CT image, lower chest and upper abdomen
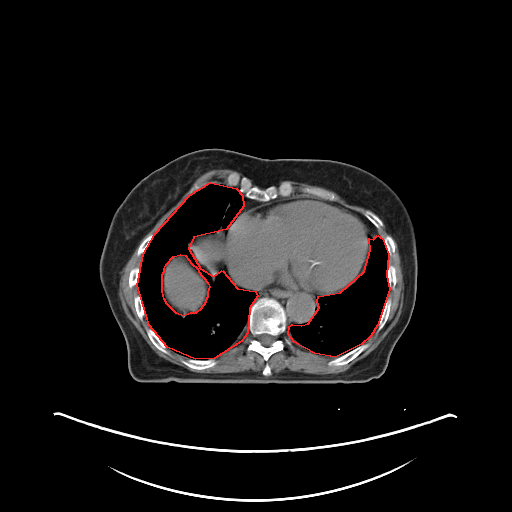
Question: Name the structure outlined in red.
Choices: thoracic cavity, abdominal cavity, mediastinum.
Answer: red: thoracic cavity.
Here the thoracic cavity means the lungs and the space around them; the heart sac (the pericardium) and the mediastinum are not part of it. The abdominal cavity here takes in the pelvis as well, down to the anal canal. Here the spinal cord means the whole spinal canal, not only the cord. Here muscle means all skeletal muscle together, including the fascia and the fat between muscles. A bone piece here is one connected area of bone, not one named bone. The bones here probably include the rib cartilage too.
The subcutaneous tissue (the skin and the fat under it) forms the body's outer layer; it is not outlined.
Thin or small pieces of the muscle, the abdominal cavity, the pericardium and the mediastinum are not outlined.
{"thoracic_cavity":[{"outer":[[210,182],[236,188],[242,195],[243,206],[226,229],[193,237],[188,248],[200,268],[213,276],[222,270],[237,288],[255,291],[257,296],[249,308],[247,333],[241,341],[214,358],[195,359],[167,347],[149,325],[137,285],[143,254],[155,233],[189,195]],"hole":[[180,254],[185,255],[191,263],[197,268],[198,271],[207,282],[209,286],[207,292],[207,297],[205,300],[205,302],[200,309],[195,313],[190,313],[183,316],[176,313],[167,304],[164,299],[162,291],[162,274],[164,271],[164,268],[166,264],[173,256]]},[[377,235],[382,238],[388,254],[386,275],[389,289],[377,325],[370,336],[361,344],[335,357],[314,353],[294,342],[288,334],[289,326],[292,324],[301,325],[308,323],[319,307],[317,301],[318,296],[340,292],[364,271],[370,250],[369,238],[373,239]]],"torso":[[[204,148],[223,148],[267,159],[342,161],[373,173],[398,194],[410,214],[415,231],[417,290],[410,320],[391,352],[385,371],[378,378],[348,384],[146,383],[138,382],[130,375],[126,343],[99,277],[99,261],[108,228],[117,208],[141,179],[178,156]]],"pericardium":[[[292,197],[317,198],[338,206],[345,206],[357,215],[369,229],[369,250],[365,267],[349,285],[340,291],[320,295],[305,289],[292,289],[280,285],[256,289],[241,287],[232,280],[224,264],[227,249],[227,236],[224,232],[239,214],[244,214],[265,203]]],"muscle":[[[384,223],[394,238],[398,247],[404,286],[402,311],[396,324],[374,350],[345,371],[315,374],[285,369],[272,374],[268,363],[269,358],[282,351],[285,345],[292,347],[293,342],[314,354],[333,357],[327,361],[328,366],[343,366],[369,346],[366,341],[376,328],[379,332],[385,326],[392,305],[392,299],[388,294],[390,289],[395,288],[397,276],[396,268],[389,263],[389,256],[396,250],[396,244],[395,241],[394,239],[389,234],[381,236],[378,232]],[[138,245],[136,254],[142,257],[140,263],[129,271],[128,286],[137,287],[133,297],[134,310],[141,321],[145,317],[148,324],[145,332],[151,343],[164,354],[169,353],[168,348],[186,357],[181,358],[180,362],[192,370],[200,371],[215,366],[215,358],[231,346],[239,344],[244,338],[247,342],[246,351],[258,353],[265,362],[261,373],[252,370],[225,373],[191,371],[160,357],[151,349],[126,316],[118,295],[121,272]],[[219,168],[232,169],[235,171],[240,172],[245,176],[241,177],[237,173],[232,172],[226,177],[225,182],[224,182],[222,179],[216,179],[213,181],[204,183],[204,181],[212,174],[211,172],[207,172],[199,178],[196,179],[200,175],[209,170],[218,169]],[[186,192],[186,194],[187,196],[169,214],[169,215],[167,216],[167,217],[159,226],[157,230],[155,232],[149,232],[144,237],[144,236],[150,230],[150,229],[154,225],[154,224],[168,210],[169,210],[170,208],[171,208],[172,206],[173,206]],[[337,194],[341,196],[342,198],[345,199],[350,204],[353,204],[354,205],[356,205],[357,206],[359,206],[360,207],[367,209],[366,209],[362,213],[362,214],[358,211],[356,211],[349,207],[347,207],[345,205],[336,201],[338,200],[338,195]],[[287,180],[289,180],[290,181],[296,181],[297,182],[301,182],[302,183],[306,183],[307,184],[309,184],[304,185],[300,188],[300,191],[302,193],[307,194],[307,195],[302,193],[298,193],[297,195],[291,195],[294,192],[295,189],[293,185]]],"spinal_cord":[[[261,334],[269,334],[270,335],[271,335],[272,336],[273,336],[274,337],[274,340],[271,343],[271,344],[270,345],[269,345],[268,346],[265,346],[264,345],[263,345],[259,341],[259,340],[258,339],[258,336],[259,335],[260,335]]],"bones":[{"outer":[[263,297],[272,298],[282,306],[286,317],[287,334],[292,341],[292,346],[285,344],[282,350],[273,353],[268,358],[267,363],[271,370],[270,375],[262,374],[266,363],[264,358],[256,351],[247,351],[248,342],[245,341],[248,336],[250,308],[255,301]],"hole":[[261,334],[269,334],[270,335],[271,335],[272,336],[273,336],[274,337],[274,340],[271,343],[271,344],[270,345],[269,345],[268,346],[265,346],[264,345],[263,345],[259,341],[259,340],[258,339],[258,336],[259,335],[260,335]]},[[232,173],[237,174],[241,178],[246,177],[253,185],[256,185],[262,189],[269,186],[277,187],[281,182],[287,181],[292,185],[294,190],[289,196],[280,195],[275,199],[271,199],[268,201],[250,199],[239,190],[238,185],[230,186],[226,183],[227,177]],[[365,342],[368,343],[368,346],[356,357],[355,357],[346,364],[344,364],[343,365],[338,365],[337,366],[335,365],[328,365],[328,361],[329,361],[331,359],[333,359],[336,357],[341,356],[347,353],[349,351],[354,349],[356,347],[361,345]],[[307,185],[319,186],[320,187],[325,188],[328,190],[331,190],[337,195],[337,200],[335,201],[332,201],[331,200],[328,200],[327,199],[324,199],[323,198],[318,197],[315,195],[312,195],[311,194],[308,194],[307,193],[302,192],[301,191],[301,188]],[[187,358],[190,358],[191,359],[194,359],[195,360],[215,359],[216,363],[215,365],[214,365],[212,367],[209,367],[208,368],[205,368],[204,369],[201,369],[200,370],[196,370],[195,369],[192,369],[188,367],[181,362],[181,359],[186,359]],[[147,326],[149,326],[152,329],[152,330],[156,334],[156,335],[165,344],[165,345],[168,350],[168,353],[167,354],[166,353],[164,353],[163,352],[162,352],[160,350],[159,350],[152,343],[152,342],[150,340],[150,339],[146,332],[146,327]],[[388,297],[391,299],[391,305],[390,306],[390,310],[389,311],[389,314],[388,315],[387,320],[386,321],[384,326],[379,331],[377,331],[377,326],[378,325],[378,322],[379,321],[380,316],[382,313],[382,311],[383,310],[383,308],[384,307],[385,302]],[[137,293],[138,293],[141,297],[141,299],[142,300],[142,302],[143,303],[143,306],[144,307],[144,310],[145,311],[145,314],[144,315],[144,317],[142,320],[141,320],[138,317],[138,316],[136,313],[136,311],[135,310],[135,304],[134,303],[134,297]],[[366,210],[369,210],[370,211],[371,211],[372,212],[373,212],[383,222],[383,226],[382,227],[381,227],[379,229],[378,229],[367,218],[366,218],[366,217],[365,216],[364,216],[363,215],[363,213]],[[389,264],[391,264],[395,268],[395,275],[396,276],[396,283],[395,284],[395,286],[394,287],[394,288],[393,289],[392,289],[391,288],[389,288],[389,286],[388,285],[388,276],[387,275],[387,272],[388,271],[388,265]],[[138,265],[139,265],[139,275],[138,276],[138,281],[137,282],[137,284],[136,285],[135,285],[134,286],[133,286],[132,287],[130,287],[129,286],[129,274],[130,273],[130,271],[131,270],[131,269],[133,267],[134,267],[135,266],[137,266]],[[149,233],[154,233],[154,234],[153,235],[153,236],[152,237],[152,238],[151,239],[147,248],[145,250],[145,251],[142,254],[141,254],[140,255],[138,255],[137,254],[137,250],[138,249],[138,247],[139,246],[140,243],[143,240],[143,239]],[[386,235],[389,235],[393,239],[393,240],[394,241],[394,243],[395,244],[395,250],[394,251],[394,252],[391,255],[389,255],[389,254],[387,251],[387,249],[385,246],[385,244],[384,243],[384,241],[383,240],[383,238],[382,237],[383,237]],[[207,173],[211,173],[211,174],[203,181],[203,183],[204,184],[203,185],[202,185],[199,188],[196,189],[188,195],[187,194],[187,192],[189,190],[190,187],[194,183],[194,182],[196,180],[199,179],[202,176],[203,176]]],"abdominal_cavity":[[[180,254],[185,255],[191,263],[197,268],[198,271],[207,282],[209,286],[207,292],[207,297],[205,300],[205,302],[200,309],[195,313],[190,313],[183,316],[176,313],[167,304],[164,299],[162,291],[162,274],[164,271],[164,268],[166,264],[173,256]],[[221,229],[222,230],[225,230],[225,231],[223,232],[225,234],[226,238],[220,256],[220,262],[219,263],[218,270],[216,273],[213,275],[209,270],[204,269],[199,266],[194,256],[193,252],[189,248],[189,241],[193,238],[195,238],[200,235],[215,234]]],"mediastinum":[[[236,286],[256,290],[260,290],[270,286],[280,286],[292,290],[305,290],[319,295],[316,297],[318,307],[315,310],[312,318],[308,322],[301,324],[292,323],[288,327],[285,310],[276,299],[263,296],[254,301],[258,296],[258,293],[255,290],[247,290]],[[241,193],[242,193],[245,196],[246,198],[250,200],[255,200],[259,202],[268,202],[265,202],[264,203],[262,203],[258,205],[256,207],[253,207],[248,211],[244,213],[242,213],[240,214],[242,212],[241,211],[244,206],[244,199],[243,198],[243,195]],[[352,210],[356,212],[358,212],[364,217],[365,217],[365,218],[367,219],[376,228],[378,234],[377,234],[373,238],[370,237],[370,229],[368,227],[368,226],[366,225],[366,224],[362,220],[362,219],[357,214],[354,213],[354,212],[352,211]]]}